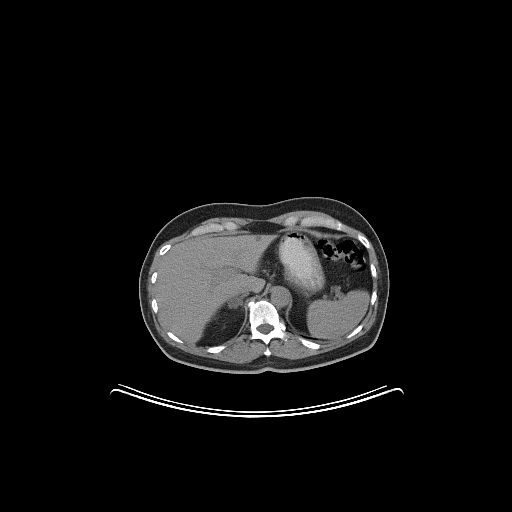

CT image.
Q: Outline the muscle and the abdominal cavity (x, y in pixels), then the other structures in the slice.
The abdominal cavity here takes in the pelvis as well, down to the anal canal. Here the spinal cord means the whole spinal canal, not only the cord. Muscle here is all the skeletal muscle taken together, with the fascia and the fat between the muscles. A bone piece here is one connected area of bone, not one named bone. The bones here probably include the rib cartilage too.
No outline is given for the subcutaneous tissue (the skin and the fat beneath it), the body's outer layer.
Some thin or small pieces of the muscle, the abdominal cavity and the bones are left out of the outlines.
A: Outlined structures:
muscle 1: [[296,210],[320,211],[333,217],[308,215],[299,218],[290,215],[284,219],[282,224],[254,222],[241,227],[230,220],[210,222],[194,227],[188,233],[187,236],[189,237],[173,245],[163,244],[158,250],[161,258],[157,271],[154,271],[150,276],[150,282],[154,284],[155,292],[155,297],[150,301],[152,311],[172,340],[180,344],[183,343],[188,347],[207,347],[205,350],[212,354],[219,353],[226,347],[226,344],[234,341],[245,330],[248,322],[248,337],[250,340],[257,339],[265,345],[274,338],[286,341],[289,337],[287,326],[298,335],[297,339],[305,347],[317,350],[321,347],[319,342],[332,342],[344,337],[351,338],[363,328],[362,322],[370,309],[370,305],[372,306],[377,299],[377,291],[372,288],[373,279],[377,277],[377,271],[375,265],[370,262],[368,253],[371,243],[380,268],[381,286],[376,318],[366,333],[335,349],[298,359],[273,356],[267,346],[263,351],[264,355],[245,363],[233,363],[191,354],[170,345],[163,339],[155,327],[147,298],[148,271],[155,251],[160,245],[210,218],[264,219]]
muscle 2: [[345,224],[346,224],[347,225],[348,225],[351,227],[353,227],[354,228],[355,228],[356,229],[359,230],[364,234],[363,234],[362,233],[359,232],[356,235],[356,238],[355,237],[353,237],[350,235],[348,235],[346,233],[346,226],[345,225]]
abdominal cavity: [[254,223],[310,227],[357,239],[367,250],[372,278],[369,309],[362,321],[343,337],[316,342],[288,327],[283,319],[290,295],[283,287],[270,287],[248,301],[247,325],[228,343],[188,346],[166,329],[157,315],[155,291],[162,256],[190,237],[234,231]]
mediastinum 1: [[270,288],[283,288],[283,289],[285,290],[285,291],[287,292],[289,295],[289,303],[287,306],[287,309],[286,310],[285,317],[284,318],[281,317],[278,311],[278,309],[274,305],[274,304],[269,300],[265,298],[260,298],[259,299],[257,299],[266,293]]
mediastinum 2: [[312,226],[315,226],[316,227],[323,227],[324,228],[328,228],[329,229],[331,229],[332,230],[336,230],[337,231],[344,231],[345,233],[344,234],[335,234],[334,233],[325,233],[324,232],[322,232],[320,230],[314,230],[312,229],[311,228]]
torso: [[302,196],[329,197],[350,205],[369,222],[382,244],[389,270],[389,295],[385,317],[373,345],[362,353],[329,365],[286,373],[269,370],[255,374],[222,373],[192,367],[170,359],[146,327],[138,294],[140,269],[158,231],[176,215],[202,204],[269,204]]
bones 1: [[260,299],[265,299],[269,301],[277,309],[280,317],[286,325],[286,332],[288,335],[286,340],[274,337],[267,344],[265,344],[260,339],[257,338],[250,339],[249,337],[250,336],[249,329],[250,326],[248,321],[248,306],[247,305],[250,300],[259,300]]; inner edge: [[262,324],[268,324],[269,325],[270,325],[272,327],[272,329],[270,331],[269,331],[267,333],[263,333],[262,332],[261,332],[260,331],[259,331],[258,330],[258,329],[257,328],[260,325],[261,325]]
bones 2: [[290,216],[295,216],[299,219],[308,216],[321,216],[325,218],[333,218],[336,220],[339,220],[344,224],[345,226],[345,231],[344,230],[337,230],[328,227],[316,226],[315,225],[302,226],[298,223],[294,225],[284,225],[283,223],[285,219]]
bones 3: [[228,221],[233,222],[238,226],[238,227],[234,230],[227,230],[226,229],[224,229],[221,231],[212,231],[211,232],[202,233],[198,235],[188,236],[189,233],[194,228],[198,226],[201,226],[202,225],[205,225],[210,223],[223,223]]
bones 4: [[298,336],[300,336],[301,337],[303,337],[306,339],[308,339],[309,340],[311,340],[316,343],[318,343],[320,345],[320,347],[317,349],[313,349],[312,348],[310,348],[309,347],[307,347],[306,346],[305,346],[298,339],[298,338],[297,337]]
bones 5: [[359,233],[360,233],[361,234],[362,234],[363,235],[364,235],[368,239],[368,240],[369,241],[369,242],[370,243],[370,247],[369,248],[368,248],[367,249],[360,242],[360,241],[357,238],[357,235]]
bones 6: [[223,345],[225,345],[225,347],[222,350],[221,350],[219,352],[218,352],[217,353],[212,353],[211,352],[208,352],[206,350],[206,349],[208,347],[210,347],[211,346],[222,346]]
bones 7: [[361,323],[362,323],[362,324],[363,325],[362,326],[362,328],[357,333],[356,333],[354,335],[353,335],[351,337],[346,337],[346,336],[350,332],[351,332],[358,325],[359,325]]
bones 8: [[165,244],[169,244],[171,246],[171,247],[163,255],[160,255],[159,254],[159,250],[160,249],[160,248],[163,245],[164,245]]
bones 9: [[153,298],[155,298],[156,299],[156,301],[157,302],[157,308],[158,309],[158,310],[157,311],[157,313],[155,313],[153,311],[153,310],[152,309],[152,307],[151,306],[151,301],[152,300],[152,299]]
bones 10: [[167,331],[169,331],[170,332],[171,332],[174,335],[175,335],[178,338],[179,338],[183,342],[182,343],[180,343],[179,342],[177,342],[176,341],[175,341],[173,339],[172,339],[167,334]]
bones 11: [[370,263],[372,263],[374,265],[374,266],[375,267],[375,270],[376,271],[376,277],[374,277],[373,278],[372,277],[372,276],[371,275],[371,272],[370,271]]
bones 12: [[373,290],[375,290],[376,291],[376,299],[375,300],[375,301],[374,302],[374,303],[372,305],[371,305],[370,304],[370,299],[371,298],[371,294],[372,293],[372,291]]
spinal cord: [[262,324],[268,324],[269,325],[270,325],[272,327],[272,329],[270,331],[269,331],[267,333],[263,333],[262,332],[261,332],[260,331],[259,331],[258,330],[258,329],[257,328],[260,325],[261,325]]